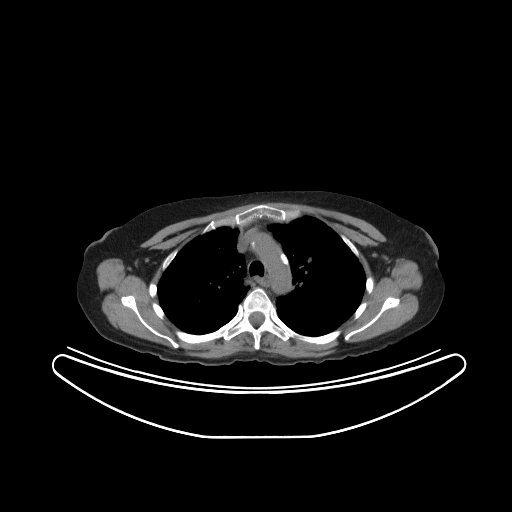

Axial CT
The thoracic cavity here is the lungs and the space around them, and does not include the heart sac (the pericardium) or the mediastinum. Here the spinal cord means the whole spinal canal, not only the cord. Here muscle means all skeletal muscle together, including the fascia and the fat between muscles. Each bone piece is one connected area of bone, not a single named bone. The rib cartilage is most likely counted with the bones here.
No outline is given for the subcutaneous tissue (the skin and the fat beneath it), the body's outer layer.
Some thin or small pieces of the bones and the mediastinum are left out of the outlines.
Outlines (x, y in pixels):
spinal cord: 254,312 259,312 260,313 261,313 263,315 263,316 264,317 264,319 263,320 263,321 259,325 258,325 257,326 255,326 254,325 253,325 250,322 250,321 249,320 249,317 250,316 250,315 252,313 253,313
mediastinum: 263,218 275,223 269,224 268,228 281,244 294,286 287,294 278,297 275,303 262,287 256,286 248,291 249,288 243,283 246,273 245,262 236,248 236,238 239,231 237,228 231,227 246,226 256,219
torso: 266,190 325,190 352,195 381,205 425,229 438,249 438,265 445,282 442,303 425,327 378,351 318,364 293,365 255,360 235,361 229,365 164,361 113,343 94,329 76,297 83,254 92,241 108,229 160,204
muscle 1: 265,202 299,203 330,209 360,218 377,228 387,240 375,246 363,247 361,249 362,252 377,279 387,274 386,269 395,263 396,258 410,259 417,263 422,274 422,283 417,293 419,307 415,315 393,330 366,340 346,342 328,355 291,358 281,355 272,355 260,350 260,340 264,332 271,333 284,342 291,338 310,344 323,345 336,340 342,333 339,327 350,317 352,316 352,318 356,320 364,312 368,305 365,300 362,300 364,293 370,294 375,283 371,275 366,277 363,266 358,258 360,253 356,245 343,233 339,235 322,220 312,215 303,215 297,208 284,209 with a hole at 389,296 397,297 399,299 399,303 396,306 386,309 372,324 363,330 353,334 347,340 345,340 344,339 344,336 347,333 350,331 352,331 355,329 357,329 361,327 370,321 378,313 385,299
muscle 2: 249,203 259,203 232,216 212,219 180,249 171,250 161,263 163,271 157,284 152,281 148,284 148,293 158,299 151,303 154,313 161,320 166,317 177,328 174,333 180,341 188,344 220,338 229,341 248,332 254,351 220,358 185,355 128,334 108,321 101,309 96,277 102,260 120,258 131,264 135,275 148,282 166,252 141,247 141,243 170,224 with a hole at 126,295 132,295 134,297 135,299 136,307 140,315 151,327 158,332 172,338 177,343 178,343 179,346 178,347 173,347 168,340 165,338 158,336 150,331 139,320 137,315 131,308 123,305 121,302 121,297
thoracic cavity 1: 304,215 312,216 331,228 358,259 365,275 364,292 360,303 352,315 334,330 320,335 306,335 295,331 279,317 275,305 278,298 287,295 295,286 292,281 290,264 282,244 275,237 269,225 276,223 287,224
thoracic cavity 2: 224,226 237,229 238,231 235,238 235,248 243,258 245,273 242,278 242,283 248,288 247,293 238,304 235,314 217,329 199,334 186,332 179,329 166,316 159,303 157,285 163,272 187,243 200,234 203,235
bones 1: 256,287 266,292 278,317 295,332 320,336 338,328 341,333 330,342 317,344 291,337 284,341 264,331 257,350 253,335 248,331 229,340 222,337 199,343 180,340 175,333 177,329 199,335 226,324 248,292, around a hole outlined by 254,312 259,312 260,313 261,313 263,315 263,316 264,317 264,319 263,320 263,321 259,325 258,325 257,326 255,326 254,325 253,325 250,322 250,321 249,320 249,317 250,316 250,315 252,313 253,313
bones 2: 260,203 267,204 284,210 297,209 302,214 301,216 288,222 275,222 267,217 256,218 246,225 235,225 234,226 224,225 219,226 215,229 201,234 201,231 203,228 212,220 218,220 229,216 232,217 235,214
bones 3: 126,295 132,295 134,297 135,299 136,307 140,315 151,327 158,332 172,338 177,343 178,343 179,346 178,347 173,347 168,340 165,338 158,336 150,331 139,320 137,315 131,308 123,305 121,302 121,297
bones 4: 389,296 397,297 399,299 399,303 396,306 386,309 372,324 363,330 353,334 347,340 345,340 344,339 344,336 347,333 350,331 352,331 355,329 357,329 361,327 370,321 378,313 385,299
bones 5: 176,248 177,248 179,250 177,252 176,255 173,258 173,259 170,262 170,263 168,265 168,266 164,270 163,270 162,269 162,263 163,262 164,259 166,257 166,256 171,251 172,251 174,249 175,249
bones 6: 341,234 343,234 349,240 350,240 355,245 355,246 356,247 356,248 358,250 358,252 359,253 359,256 358,257 357,257 353,253 353,252 350,249 350,248 344,242 344,241 341,238 341,237 340,236 340,235
bones 7: 362,301 365,301 367,303 367,305 366,306 366,307 365,308 365,309 363,311 363,312 356,319 354,319 353,318 353,314 354,313 354,312 356,310 356,309 359,306 359,305 361,303 361,302
bones 8: 153,302 156,302 157,303 158,303 159,304 159,305 161,307 161,308 162,309 162,310 164,312 164,313 165,314 165,316 163,319 161,319 155,313 155,312 154,311 154,310 152,307 152,303